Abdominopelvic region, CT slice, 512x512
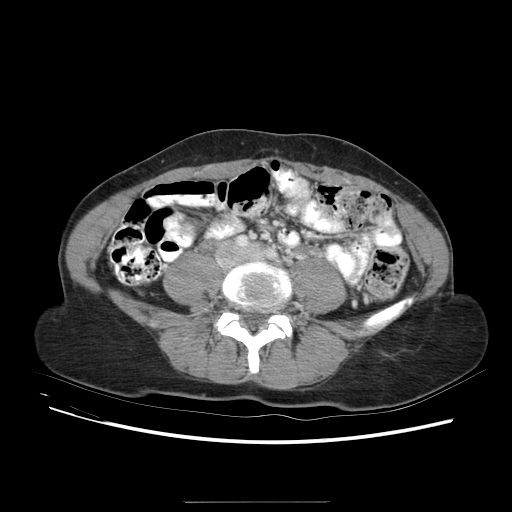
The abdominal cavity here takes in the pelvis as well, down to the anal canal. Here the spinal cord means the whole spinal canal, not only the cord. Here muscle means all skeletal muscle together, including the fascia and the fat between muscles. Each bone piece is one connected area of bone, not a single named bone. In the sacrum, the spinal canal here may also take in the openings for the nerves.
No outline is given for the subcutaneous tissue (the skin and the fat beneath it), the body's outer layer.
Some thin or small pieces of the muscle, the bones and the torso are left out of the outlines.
The abdominal cavity is outlined by 331,319 378,310 410,290 416,267 395,203 367,187 304,176 275,157 226,177 144,188 103,253 112,285 178,312 188,310 167,295 162,277 190,250 209,255 223,277 246,260 289,273 319,257 347,291 323,317. The bones appear in 2 outlined pieces: piece 1: 253,374 259,370 258,351 262,346 276,338 291,338 293,335 291,317 280,311 292,293 290,276 284,268 263,259 237,264 225,275 221,290 229,301 230,308 224,310 214,323 221,334 241,341 246,346 248,370; inner edge: 253,332 255,331 260,326 262,326 263,327 266,325 267,323 266,322 266,319 270,314 269,313 260,313 257,311 251,312 250,311 248,311 242,308 239,311 240,315 241,316 241,321 242,322 242,324 249,330; piece 2: 370,331 377,331 381,329 386,325 387,325 394,319 397,318 408,306 412,304 414,300 414,294 411,294 410,295 407,295 405,296 398,301 373,313 366,319 365,319 363,321 363,327 364,328 368,329. The spinal cord is outlined by 253,332 255,331 260,326 262,326 263,327 266,325 267,323 266,322 266,319 270,314 269,313 260,313 257,311 251,312 250,311 248,311 242,308 239,311 240,315 241,316 241,321 242,322 242,324 249,330. The torso is outlined by 348,415 430,398 467,379 461,378 487,350 485,311 471,294 454,289 449,233 415,183 338,137 217,128 113,174 74,207 57,254 62,297 42,308 32,330 36,355 53,374 47,375 130,402 164,394 329,406. The muscle is outlined by 278,390 315,388 334,375 379,331 362,327 376,311 349,319 323,318 345,300 343,282 319,258 298,262 290,271 292,296 281,310 292,317 294,335 262,347 260,370 250,374 245,346 213,327 229,303 220,290 221,273 209,256 190,251 164,274 166,292 188,308 186,313 136,299 105,279 103,250 132,199 153,183 226,176 271,156 315,179 383,191 396,203 417,267 407,294 414,293 415,300 403,313 439,296 449,267 441,232 413,204 367,177 293,161 273,150 256,159 166,171 111,195 78,221 65,251 73,283 107,297 145,327 174,369 197,381 253,381.